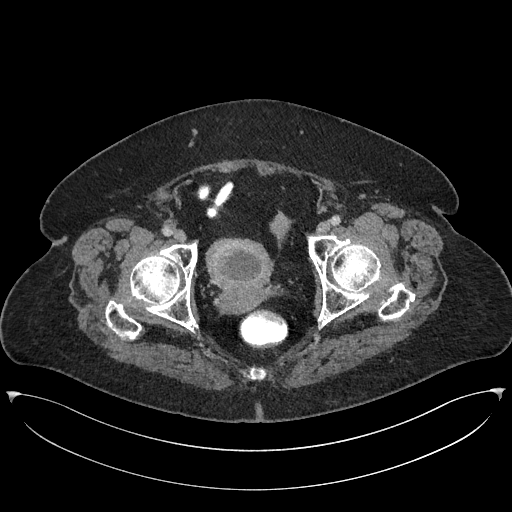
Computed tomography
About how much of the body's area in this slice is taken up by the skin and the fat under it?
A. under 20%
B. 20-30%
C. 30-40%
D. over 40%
Answer: D. over 40%
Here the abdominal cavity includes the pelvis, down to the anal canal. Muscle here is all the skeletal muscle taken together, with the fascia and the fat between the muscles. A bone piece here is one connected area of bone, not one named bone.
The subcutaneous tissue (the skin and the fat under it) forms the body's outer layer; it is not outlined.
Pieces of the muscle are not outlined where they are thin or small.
The bones appear in 5 outlined pieces: piece 1: (306, 234) (334, 234) (341, 240) (349, 238) (353, 242) (363, 244) (373, 250) (379, 258) (381, 264) (380, 269) (382, 279) (372, 286) (369, 297) (356, 306) (335, 317) (321, 329) (317, 328) (316, 319) (320, 313) (322, 305) (322, 288) (319, 275) (308, 255) (305, 237); piece 2: (195, 239) (198, 239) (199, 241) (198, 257) (191, 279) (189, 299) (191, 311) (195, 320) (199, 325) (199, 329) (196, 333) (192, 333) (182, 325) (146, 310) (143, 304) (130, 294) (129, 276) (132, 267) (142, 258) (157, 252) (163, 247) (168, 247) (176, 243) (190, 243); piece 3: (110, 299) (114, 299) (116, 301) (118, 302) (121, 302) (124, 305) (125, 305) (125, 309) (126, 311) (141, 324) (142, 328) (135, 339) (133, 340) (123, 340) (121, 339) (106, 325) (105, 323) (105, 317) (104, 316) (104, 310) (105, 309) (105, 307) (108, 301); piece 4: (398, 281) (402, 282) (407, 288) (408, 288) (415, 294) (415, 299) (410, 304) (409, 309) (398, 319) (396, 320) (386, 320) (384, 321) (380, 318) (377, 312) (377, 310) (380, 306) (380, 301) (381, 300) (386, 299) (389, 296) (390, 293) (387, 290) (388, 287) (391, 284); piece 5: (252, 366) (254, 366) (255, 367) (263, 367) (266, 370) (266, 376) (263, 379) (262, 379) (261, 380) (251, 380) (250, 379) (249, 379) (247, 377) (246, 377) (245, 376) (244, 376) (243, 375) (243, 372) (245, 372) (246, 373) (247, 373) (249, 371) (249, 369). The abdominal cavity is outlined by (246, 168) (255, 169) (261, 176) (296, 176) (310, 181) (318, 188) (313, 227) (304, 235) (306, 253) (313, 274) (311, 317) (299, 339) (269, 363) (244, 360) (228, 352) (211, 336) (202, 320) (197, 303) (200, 241) (188, 232) (181, 218) (182, 186) (200, 175) (229, 174). The torso is outlined by (244, 98) (277, 99) (328, 112) (388, 136) (440, 168) (459, 197) (457, 211) (445, 217) (499, 263) (511, 284) (507, 348) (361, 405) (267, 423) (169, 413) (54, 370) (12, 361) (0, 343) (0, 313) (15, 281) (50, 247) (39, 215) (52, 189) (86, 159) (148, 124). The muscle is outlined by (240, 158) (271, 160) (318, 173) (344, 190) (349, 198) (394, 201) (432, 223) (443, 241) (440, 259) (447, 276) (446, 286) (435, 312) (420, 329) (393, 348) (340, 374) (301, 387) (281, 388) (265, 381) (251, 381) (223, 389) (207, 389) (171, 380) (133, 365) (119, 362) (108, 356) (78, 329) (77, 311) (68, 300) (69, 282) (73, 268) (71, 250) (75, 241) (89, 226) (101, 219) (118, 214) (139, 214) (144, 209) (153, 191) (172, 177) (196, 166) with holes at (246, 168) (316, 185) (307, 233) (349, 238) (381, 264) (369, 297) (318, 329) (322, 288) (309, 257) (308, 326) (269, 363) (244, 360) (211, 336) (197, 303) (198, 257) (189, 295) (196, 333) (146, 310) (129, 292) (139, 260) (197, 238) (183, 224) (180, 188) (200, 175) and at (110, 299) (114, 299) (116, 301) (118, 302) (121, 302) (124, 305) (125, 305) (125, 309) (126, 311) (141, 324) (142, 328) (135, 339) (133, 340) (123, 340) (121, 339) (106, 325) (105, 323) (105, 317) (104, 316) (104, 310) (105, 309) (105, 307) (108, 301) and at (398, 281) (402, 282) (407, 288) (408, 288) (415, 294) (415, 299) (410, 304) (409, 309) (398, 319) (396, 320) (386, 320) (384, 321) (380, 318) (377, 312) (377, 310) (380, 306) (380, 301) (381, 300) (386, 299) (389, 296) (390, 293) (387, 290) (388, 287) (391, 284) and at (252, 366) (254, 366) (255, 367) (263, 367) (266, 370) (266, 376) (263, 379) (262, 379) (261, 380) (251, 380) (250, 379) (249, 379) (247, 377) (246, 377) (245, 376) (244, 376) (243, 375) (243, 372) (245, 372) (246, 373) (247, 373) (249, 371) (249, 369).